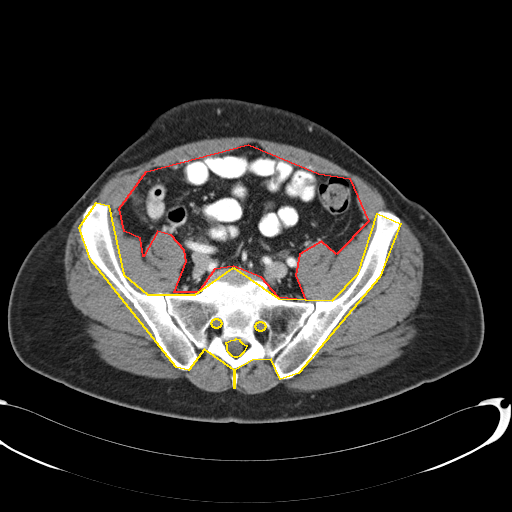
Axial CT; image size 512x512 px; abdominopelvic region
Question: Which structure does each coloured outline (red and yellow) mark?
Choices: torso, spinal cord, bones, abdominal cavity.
Answer: red: abdominal cavity; yellow: bones.
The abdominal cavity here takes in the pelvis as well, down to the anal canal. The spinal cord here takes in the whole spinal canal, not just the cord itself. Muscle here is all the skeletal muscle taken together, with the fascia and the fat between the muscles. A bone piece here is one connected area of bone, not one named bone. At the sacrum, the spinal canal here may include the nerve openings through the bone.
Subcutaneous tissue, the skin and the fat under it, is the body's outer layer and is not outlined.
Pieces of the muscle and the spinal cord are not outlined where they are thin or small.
Outlines:
abdominal cavity: 248 144; 318 173; 349 178; 368 221; 336 254; 321 241; 299 254; 295 275; 305 300; 278 297; 261 277; 233 266; 214 269; 198 292; 174 292; 186 261; 184 250; 171 235; 157 231; 143 256; 140 238; 124 231; 119 208; 146 171
bones: 96 202; 108 205; 123 274; 147 294; 195 294; 233 267; 278 298; 332 300; 358 273; 377 213; 400 223; 379 277; 298 373; 280 379; 271 359; 252 360; 234 370; 234 388; 234 370; 204 349; 188 370; 176 367; 90 259; 79 227 with holes at 236 338; 239 339; 239 340; 242 343; 246 345; 246 346; 243 352; 239 356; 237 357; 234 357; 232 356; 228 352; 227 350; 227 345; 226 344; 226 342; 230 340; 235 339 and at 259 321; 261 321; 262 322; 263 322; 264 323; 264 324; 265 325; 265 327; 264 328; 264 329; 263 330; 262 330; 261 331; 259 331; 258 330; 257 330; 256 329; 256 328; 255 327; 255 325; 256 324; 256 323; 257 322; 258 322 and at 215 318; 217 318; 218 319; 219 319; 220 320; 220 321; 221 322; 221 324; 220 325; 220 326; 219 327; 218 327; 217 328; 215 328; 214 327; 213 327; 212 326; 212 325; 211 324; 211 322; 212 321; 212 320; 213 319; 214 319
muscle 1: 233 136; 285 143; 322 156; 374 186; 394 212; 382 209; 376 213; 375 229; 359 269; 337 297; 306 300; 296 270; 300 254; 310 244; 321 242; 336 255; 368 223; 358 205; 354 182; 272 155; 257 143; 154 166; 139 176; 118 208; 124 233; 139 238; 143 257; 154 234; 168 234; 185 253; 185 261; 173 292; 142 292; 127 279; 113 244; 109 205; 88 204; 120 170; 178 145
muscle 2: 400 218; 417 237; 424 253; 422 291; 414 311; 417 333; 406 350; 373 372; 320 390; 298 392; 281 384; 254 394; 236 390; 239 374; 235 370; 252 361; 271 360; 278 378; 288 380; 316 356; 350 307; 380 277; 391 242; 400 227
muscle 3: 83 211; 78 235; 87 256; 140 314; 169 361; 186 372; 198 360; 196 349; 204 350; 220 358; 233 370; 230 375; 233 388; 211 392; 197 387; 186 378; 137 375; 118 369; 98 356; 85 333; 84 317; 69 298; 64 275; 67 235
spinal cord: 236 338; 239 339; 239 340; 242 343; 246 345; 246 346; 243 352; 239 356; 237 357; 234 357; 232 356; 228 352; 227 350; 227 345; 226 344; 226 342; 230 340; 235 339
torso: 204 97; 237 98; 305 115; 339 136; 402 193; 425 207; 456 245; 476 282; 484 314; 484 338; 477 357; 435 381; 371 404; 271 423; 218 423; 149 413; 90 396; 25 366; 14 353; 7 330; 9 295; 24 257; 155 117; 174 105